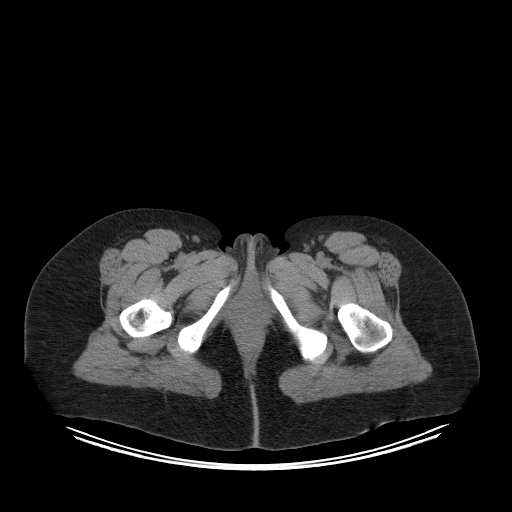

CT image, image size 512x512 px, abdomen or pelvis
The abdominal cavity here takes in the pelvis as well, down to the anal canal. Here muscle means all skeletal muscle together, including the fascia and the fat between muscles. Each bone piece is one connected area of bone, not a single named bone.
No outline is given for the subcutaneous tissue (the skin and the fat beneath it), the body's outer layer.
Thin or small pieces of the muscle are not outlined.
{"torso":[[[136,207],[205,217],[221,231],[221,248],[240,233],[263,232],[283,251],[285,229],[317,215],[366,214],[398,224],[444,263],[464,294],[480,362],[477,383],[451,414],[282,450],[209,449],[57,415],[23,361],[29,290],[43,265],[77,233]]],"bones":[[[347,302],[353,302],[356,303],[362,307],[368,309],[380,318],[387,321],[390,324],[392,328],[392,338],[391,340],[386,345],[374,352],[363,353],[356,349],[351,343],[349,338],[343,330],[340,323],[337,319],[337,316],[336,315],[339,306],[341,304]],[[143,298],[151,298],[163,309],[171,312],[171,314],[172,315],[172,322],[169,327],[165,329],[163,329],[160,331],[158,331],[148,336],[145,336],[144,337],[131,337],[122,328],[119,321],[119,314],[124,308],[125,308],[130,304],[132,304]],[[268,284],[283,296],[293,316],[301,325],[317,329],[326,334],[327,336],[326,347],[323,353],[317,357],[315,361],[310,361],[307,359],[304,359],[300,354],[297,346],[297,341],[290,332],[282,316],[270,298],[269,291],[266,288],[266,286]],[[231,283],[232,283],[232,286],[229,295],[224,304],[210,322],[203,336],[203,339],[200,347],[194,353],[189,353],[186,351],[182,350],[180,348],[177,342],[177,335],[180,329],[194,322],[201,317],[212,303],[216,294],[225,286]]],"muscle":[{"outer":[[151,228],[176,231],[186,252],[230,256],[241,273],[262,272],[291,252],[311,254],[337,230],[384,238],[402,267],[402,321],[431,375],[400,388],[297,404],[281,391],[278,377],[301,356],[315,362],[327,334],[301,324],[268,283],[296,345],[273,318],[255,373],[245,377],[222,321],[203,342],[231,282],[176,335],[182,351],[199,349],[201,360],[219,371],[217,397],[77,377],[73,363],[104,319],[100,258],[106,248]],"holes":[[[347,302],[353,302],[356,303],[362,307],[368,309],[380,318],[387,321],[390,324],[392,328],[392,338],[391,340],[386,345],[374,352],[363,353],[356,349],[351,343],[349,338],[343,330],[340,323],[337,319],[337,316],[336,315],[339,306],[341,304]],[[143,298],[151,298],[163,309],[171,312],[171,314],[172,315],[172,322],[169,327],[165,329],[163,329],[160,331],[158,331],[148,336],[145,336],[144,337],[131,337],[122,328],[119,321],[119,314],[124,308],[125,308],[130,304],[132,304]],[[244,298],[254,298],[255,301],[258,304],[265,308],[265,327],[263,330],[261,341],[251,360],[250,365],[249,365],[248,361],[242,351],[242,348],[240,346],[240,344],[238,341],[238,336],[236,333],[236,330],[232,321],[232,310],[236,304]]]}],"abdominal_cavity":[[[244,298],[254,298],[255,301],[258,304],[265,308],[265,327],[263,330],[261,341],[251,360],[250,365],[249,365],[248,361],[242,351],[242,348],[240,346],[240,344],[238,341],[238,336],[236,333],[236,330],[232,321],[232,310],[236,304]]]}